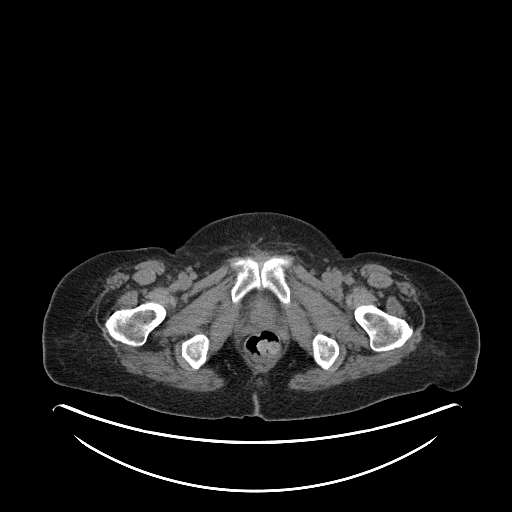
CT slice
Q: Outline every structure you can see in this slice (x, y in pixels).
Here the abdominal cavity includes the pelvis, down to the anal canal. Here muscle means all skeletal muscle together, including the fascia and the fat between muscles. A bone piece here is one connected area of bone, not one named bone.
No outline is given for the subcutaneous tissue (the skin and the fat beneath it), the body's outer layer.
A: Outlines:
abdominal cavity: (261, 288) (269, 290) (274, 294) (281, 303) (281, 308) (285, 320) (287, 322) (288, 336) (285, 346) (281, 353) (265, 367) (258, 368) (250, 361) (246, 354) (240, 348) (238, 343) (238, 338) (236, 335) (236, 321) (241, 306) (240, 302) (242, 299) (246, 294) (253, 289)
bones 1: (273, 256) (287, 257) (290, 259) (290, 264) (284, 268) (285, 280) (290, 289) (289, 304) (283, 304) (274, 293) (269, 289) (263, 287) (253, 288) (246, 293) (237, 304) (233, 303) (230, 290) (235, 282) (237, 270) (231, 265) (231, 263) (238, 258) (247, 257) (262, 263)
bones 2: (149, 301) (156, 302) (161, 304) (166, 310) (166, 315) (162, 322) (155, 327) (149, 333) (144, 344) (140, 346) (132, 346) (128, 344) (125, 344) (120, 341) (115, 340) (109, 334) (108, 330) (105, 326) (105, 322) (114, 311) (118, 309) (133, 308) (139, 304) (148, 302)
bones 3: (369, 304) (375, 305) (380, 309) (391, 315) (394, 315) (397, 317) (402, 318) (408, 323) (409, 326) (413, 331) (410, 337) (401, 346) (386, 351) (374, 351) (370, 347) (369, 337) (367, 333) (356, 321) (354, 317) (354, 310) (355, 308) (360, 305) (368, 305)
bones 4: (198, 333) (202, 333) (206, 335) (208, 337) (209, 339) (209, 347) (208, 348) (208, 351) (207, 352) (207, 357) (206, 358) (206, 361) (198, 369) (193, 369) (182, 356) (182, 354) (181, 353) (181, 345) (185, 340) (191, 337) (193, 335) (195, 334) (197, 334)
bones 5: (317, 333) (322, 333) (331, 338) (333, 338) (335, 340) (336, 340) (339, 346) (339, 354) (332, 364) (332, 365) (328, 369) (324, 369) (322, 368) (317, 363) (316, 363) (316, 362) (313, 359) (313, 356) (312, 355) (313, 354) (312, 353) (312, 339) (313, 337)
torso: (252, 211) (305, 220) (346, 256) (381, 252) (420, 260) (448, 274) (463, 290) (479, 327) (480, 352) (472, 380) (456, 391) (432, 385) (347, 413) (283, 421) (173, 415) (53, 382) (43, 366) (42, 323) (54, 288) (70, 269) (108, 250) (149, 246) (173, 250) (213, 220)
muscle: (256, 251) (282, 251) (299, 258) (316, 273) (377, 263) (404, 274) (416, 287) (424, 313) (421, 341) (387, 370) (315, 391) (290, 389) (287, 383) (294, 374) (311, 367) (313, 360) (324, 370) (333, 365) (340, 346) (322, 332) (311, 339) (312, 358) (291, 339) (275, 365) (256, 374) (230, 335) (207, 363) (226, 382) (214, 391) (173, 387) (126, 371) (116, 361) (96, 321) (99, 297) (114, 268) (122, 262) (159, 259) (181, 272) (206, 276) (224, 260) with holes at (273, 256) (290, 259) (290, 264) (284, 268) (285, 280) (290, 289) (290, 302) (287, 305) (281, 304) (288, 336) (281, 353) (265, 367) (258, 368) (238, 343) (236, 321) (241, 304) (235, 304) (231, 299) (230, 290) (237, 272) (231, 263) (238, 258) (247, 257) (262, 263) and at (149, 301) (156, 302) (161, 304) (166, 310) (166, 315) (162, 322) (155, 327) (149, 333) (144, 344) (140, 346) (132, 346) (128, 344) (125, 344) (120, 341) (115, 340) (109, 334) (108, 330) (105, 326) (105, 322) (114, 311) (118, 309) (133, 308) (139, 304) (148, 302) and at (369, 304) (375, 305) (380, 309) (391, 315) (394, 315) (397, 317) (402, 318) (408, 323) (409, 326) (413, 331) (410, 337) (401, 346) (386, 351) (374, 351) (370, 347) (369, 337) (367, 333) (356, 321) (354, 317) (354, 310) (355, 308) (360, 305) (368, 305) and at (198, 333) (202, 333) (206, 335) (208, 337) (209, 339) (209, 347) (208, 348) (208, 351) (207, 352) (207, 357) (206, 358) (206, 361) (198, 369) (193, 369) (182, 356) (182, 354) (181, 353) (181, 345) (185, 340) (191, 337) (193, 335) (195, 334) (197, 334)